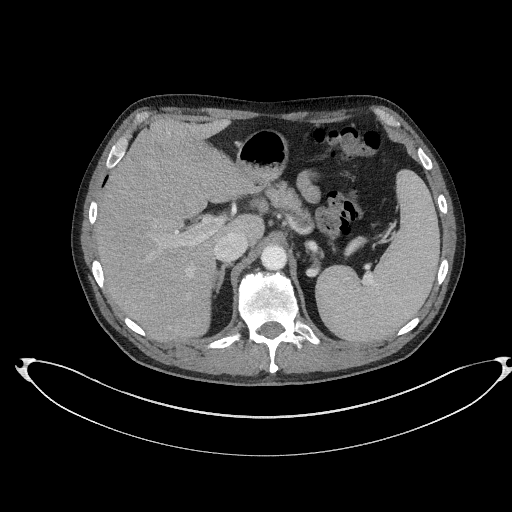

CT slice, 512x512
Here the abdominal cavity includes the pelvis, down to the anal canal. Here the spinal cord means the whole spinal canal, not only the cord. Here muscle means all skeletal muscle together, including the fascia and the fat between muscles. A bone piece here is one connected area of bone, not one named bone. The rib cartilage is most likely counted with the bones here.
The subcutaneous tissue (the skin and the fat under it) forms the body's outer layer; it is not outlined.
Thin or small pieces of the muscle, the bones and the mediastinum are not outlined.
Outlined structures:
bones 1: (270, 373) (278, 369) (274, 357) (280, 343) (288, 342) (300, 348) (305, 340) (317, 345) (320, 339) (308, 325) (297, 319) (299, 314) (297, 296) (289, 278) (280, 270) (255, 270) (245, 274) (240, 280) (237, 288) (236, 310) (246, 324) (248, 340) (264, 344) (268, 348), around a hole outlined by (271, 338) (272, 337) (274, 337) (275, 336) (276, 336) (278, 334) (279, 334) (283, 330) (282, 327) (278, 323) (276, 323) (275, 322) (268, 322) (267, 323) (264, 324) (260, 328) (260, 329) (259, 330) (259, 332) (260, 333) (263, 334) (267, 337) (270, 337)
bones 2: (107, 169) (112, 169) (123, 157) (125, 154) (126, 147) (128, 145) (128, 142) (133, 133) (133, 131) (137, 127) (140, 122) (146, 117) (147, 115) (147, 113) (146, 112) (139, 113) (136, 116) (135, 119) (129, 126) (129, 127) (112, 146) (105, 162) (105, 167)
bones 3: (206, 348) (224, 348) (225, 347) (227, 347) (235, 342) (238, 342) (240, 341) (240, 339) (241, 338) (241, 334) (237, 332) (232, 335) (230, 335) (226, 337) (223, 337) (220, 339) (215, 340) (207, 344) (206, 345)
bones 4: (101, 289) (103, 289) (104, 288) (104, 278) (103, 277) (103, 272) (102, 271) (102, 269) (101, 268) (101, 266) (100, 265) (99, 262) (96, 259) (95, 259) (92, 262) (92, 265) (91, 266) (91, 272) (92, 273) (92, 274) (93, 275) (93, 276) (94, 277) (98, 286)
bones 5: (391, 126) (398, 126) (399, 125) (399, 122) (398, 122) (392, 116) (391, 116) (389, 114) (386, 113) (384, 111) (383, 111) (381, 109) (380, 109) (377, 107) (375, 107) (372, 109) (372, 111) (377, 116) (378, 116) (382, 120) (383, 120) (388, 125) (390, 125)
bones 6: (437, 285) (440, 285) (442, 283) (447, 273) (447, 269) (448, 268) (448, 262) (446, 259) (443, 259) (441, 260) (441, 262) (440, 263) (440, 265) (438, 269) (438, 273) (437, 274) (437, 277) (436, 278) (436, 283)
bones 7: (426, 170) (431, 170) (432, 169) (432, 164) (428, 156) (423, 151) (423, 150) (420, 147) (419, 147) (417, 149) (416, 151) (416, 153) (418, 155) (418, 157) (420, 160) (420, 162) (422, 163) (422, 166) (423, 168)
bones 8: (398, 336) (399, 336) (400, 335) (402, 335) (403, 334) (405, 334) (406, 333) (411, 331) (419, 323) (419, 322) (420, 321) (420, 319) (418, 317) (415, 317) (411, 320) (410, 320) (410, 321) (409, 322) (408, 322) (404, 326) (403, 326) (397, 332) (397, 333) (396, 334)
bones 9: (91, 225) (93, 225) (94, 224) (94, 223) (95, 222) (95, 220) (96, 219) (96, 217) (97, 216) (97, 203) (95, 201) (92, 201) (91, 202) (91, 203) (90, 204) (90, 206) (89, 207) (89, 211) (88, 212) (88, 219) (89, 220) (89, 223)
bones 10: (142, 336) (145, 336) (146, 335) (145, 332) (139, 326) (138, 326) (134, 322) (133, 322) (129, 318) (128, 318) (127, 317) (125, 317) (124, 318) (124, 322) (126, 324) (126, 325) (130, 329) (131, 329) (134, 332) (135, 332) (136, 333) (137, 333) (138, 334) (139, 334)
torso: (242, 387) (317, 384) (396, 364) (415, 352) (442, 319) (464, 262) (463, 213) (442, 158) (416, 123) (395, 103) (368, 94) (282, 101) (192, 93) (152, 95) (133, 102) (118, 116) (92, 156) (75, 199) (70, 245) (78, 280) (95, 319) (126, 355) (145, 368) (196, 382)
spinal cord: (271, 338) (272, 337) (274, 337) (275, 336) (276, 336) (278, 334) (279, 334) (283, 330) (282, 327) (278, 323) (276, 323) (275, 322) (268, 322) (267, 323) (264, 324) (260, 328) (260, 329) (259, 330) (259, 332) (260, 333) (263, 334) (267, 337) (270, 337)
abdominal cavity: (359, 345) (393, 336) (415, 316) (441, 257) (435, 189) (399, 132) (373, 117) (306, 124) (259, 116) (204, 123) (161, 119) (133, 136) (98, 204) (94, 232) (105, 285) (125, 316) (157, 341) (224, 334) (239, 318) (240, 273) (276, 242) (288, 254) (300, 313) (315, 332)
mediastinum: (238, 285) (240, 278) (245, 273) (249, 271) (252, 271) (255, 269) (280, 269) (283, 271) (290, 278) (290, 279) (290, 275) (288, 269) (288, 263) (287, 262) (287, 254) (282, 245) (276, 243) (272, 243) (269, 244) (264, 248) (261, 255) (241, 273) (238, 279)
muscle 1: (226, 376) (257, 376) (268, 372) (267, 348) (247, 340) (247, 330) (241, 319) (224, 335) (211, 340) (188, 344) (157, 342) (130, 330) (105, 286) (103, 290) (97, 286) (90, 272) (91, 262) (97, 258) (94, 225) (88, 223) (87, 212) (92, 200) (99, 203) (109, 179) (111, 170) (104, 167) (104, 162) (111, 146) (142, 111) (148, 115) (133, 135) (161, 118) (204, 122) (266, 115) (306, 123) (332, 123) (356, 116) (373, 116) (386, 124) (371, 111) (375, 106) (400, 122) (398, 127) (391, 127) (415, 150) (420, 146) (429, 156) (433, 169) (426, 171) (437, 196) (442, 193) (448, 204) (448, 213) (444, 216) (440, 213) (441, 259) (448, 260) (448, 273) (440, 286) (434, 285) (416, 315) (420, 323) (405, 335) (365, 346) (335, 344) (318, 335) (321, 343) (317, 346) (306, 341) (300, 349) (292, 344) (280, 344) (275, 357) (277, 372) (293, 375) (329, 372) (367, 364) (399, 350) (433, 319) (450, 278) (456, 245) (452, 201) (430, 150) (396, 112) (375, 105) (278, 114) (198, 106) (147, 106) (133, 111) (107, 143) (89, 183) (80, 235) (84, 266) (101, 313) (118, 332) (155, 360) with a hole at (206, 348) (224, 348) (225, 347) (227, 347) (235, 342) (238, 342) (240, 341) (240, 339) (241, 338) (241, 334) (237, 332) (232, 335) (230, 335) (226, 337) (223, 337) (220, 339) (215, 340) (207, 344) (206, 345)
muscle 2: (312, 329) (312, 328) (311, 327) (311, 326) (309, 324) (309, 323) (307, 321) (307, 320) (301, 314) (300, 314) (299, 315) (299, 317) (298, 318) (298, 319) (299, 319) (301, 321) (303, 321) (304, 322) (305, 322) (307, 324) (308, 324) (311, 327) (311, 328)